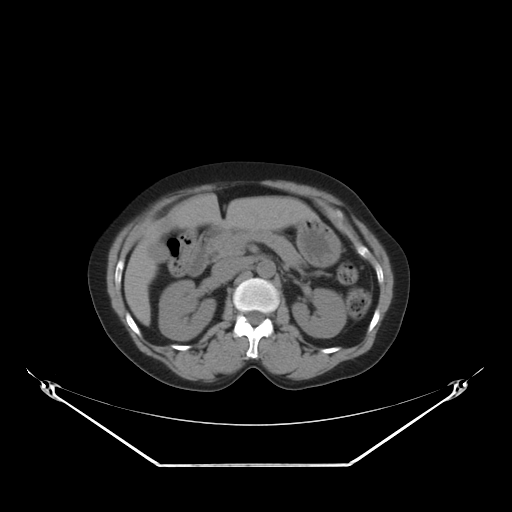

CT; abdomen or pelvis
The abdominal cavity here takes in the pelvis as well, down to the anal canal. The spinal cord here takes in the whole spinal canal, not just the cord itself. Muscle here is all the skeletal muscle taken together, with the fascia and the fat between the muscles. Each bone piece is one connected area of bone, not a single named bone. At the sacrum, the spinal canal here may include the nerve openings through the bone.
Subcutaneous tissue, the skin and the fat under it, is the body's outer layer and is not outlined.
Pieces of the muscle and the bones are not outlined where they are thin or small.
The spinal cord is outlined by (250, 311) (258, 311) (259, 312) (261, 312) (262, 313) (263, 313) (265, 315) (265, 316) (262, 320) (262, 321) (260, 323) (259, 323) (257, 325) (255, 325) (254, 326) (253, 325) (252, 325) (247, 320) (247, 318) (245, 315) (245, 313) (246, 313) (247, 312) (249, 312). The muscle is outlined by (263, 179) (270, 179) (271, 180) (278, 180) (280, 179) (281, 180) (293, 181) (300, 184) (305, 184) (312, 187) (315, 187) (321, 190) (324, 190) (340, 199) (350, 209) (354, 215) (360, 220) (377, 238) (384, 248) (388, 256) (391, 269) (393, 273) (392, 299) (389, 305) (389, 307) (386, 311) (381, 322) (381, 324) (376, 333) (373, 344) (367, 351) (351, 359) (344, 360) (331, 369) (317, 376) (308, 379) (294, 380) (287, 378) (285, 377) (284, 375) (281, 374) (274, 374) (271, 373) (262, 365) (259, 359) (249, 359) (246, 360) (245, 361) (245, 364) (234, 373) (231, 374) (222, 374) (219, 376) (220, 377) (219, 379) (212, 382) (205, 382) (200, 380) (194, 381) (193, 380) (189, 380) (183, 378) (173, 372) (161, 361) (151, 356) (149, 356) (139, 350) (129, 335) (128, 332) (125, 329) (123, 324) (120, 321) (119, 317) (113, 309) (107, 291) (107, 282) (106, 281) (107, 259) (108, 258) (109, 249) (119, 231) (127, 223) (141, 213) (150, 204) (162, 196) (164, 196) (178, 189) (190, 187) (195, 185) (199, 185) (204, 183) (225, 182) (226, 181) (233, 181) (234, 180) (262, 180), around holes outlined by (245, 184) (309, 198) (355, 251) (353, 241) (365, 246) (370, 252) (367, 260) (373, 267) (375, 263) (380, 265) (379, 319) (357, 343) (331, 353) (321, 352) (321, 347) (307, 341) (290, 322) (282, 293) (269, 316) (273, 334) (259, 339) (256, 358) (246, 355) (248, 338) (233, 335) (238, 311) (230, 291) (221, 320) (186, 350) (155, 344) (128, 325) (122, 286) (116, 287) (114, 274) (119, 259) (125, 259) (143, 228) (160, 210) (183, 196) and by (337, 209) (338, 209) (339, 210) (340, 210) (342, 212) (342, 213) (343, 214) (343, 219) (342, 220) (342, 226) (343, 227) (342, 227) (342, 226) (341, 225) (340, 225) (340, 224) (338, 221) (338, 219) (334, 215) (334, 214) (332, 212) (332, 210) (336, 210). The bones appear in 9 outlined pieces: piece 1: (254, 277) (267, 280) (276, 288) (279, 292) (279, 303) (269, 316) (274, 327) (273, 334) (263, 336) (259, 339) (257, 357) (251, 358) (246, 355) (249, 347) (248, 338) (245, 335) (237, 337) (233, 335) (233, 327) (238, 311) (233, 303) (232, 296) (235, 288) (242, 281); inner edge: (250, 311) (258, 311) (259, 312) (261, 312) (262, 313) (263, 313) (265, 315) (265, 316) (262, 320) (262, 321) (260, 323) (259, 323) (257, 325) (255, 325) (254, 326) (253, 325) (252, 325) (247, 320) (247, 318) (245, 315) (245, 313) (246, 313) (247, 312) (249, 312); piece 2: (120, 258) (123, 258) (124, 260) (124, 265) (123, 266) (123, 269) (122, 270) (122, 273) (121, 274) (121, 282) (120, 283) (120, 285) (119, 287) (117, 288) (115, 284) (115, 278) (114, 277) (114, 274) (115, 273) (115, 268) (116, 267) (116, 265); piece 3: (127, 311) (128, 312) (129, 312) (129, 313) (131, 315) (132, 318) (134, 320) (135, 323) (139, 328) (139, 329) (142, 334) (142, 335) (141, 336) (139, 336) (136, 333) (135, 333) (128, 325) (128, 324) (126, 321) (126, 318) (125, 317) (125, 315) (126, 314) (126, 312); piece 4: (353, 241) (355, 241) (356, 242) (357, 242) (358, 243) (359, 243) (360, 244) (361, 244) (362, 245) (365, 246) (369, 250) (369, 251) (370, 252) (370, 256) (368, 258) (365, 258) (364, 257) (363, 257) (361, 255) (360, 255) (356, 250) (356, 248) (353, 243); piece 5: (376, 308) (378, 308) (378, 309) (379, 310) (379, 319) (378, 320) (377, 323) (374, 326) (374, 327) (369, 332) (368, 332) (367, 331) (367, 329) (368, 328) (368, 326) (369, 325) (369, 323) (370, 322) (370, 321) (373, 316) (373, 314) (374, 313) (374, 311); piece 6: (375, 263) (378, 263) (380, 265) (380, 266) (381, 267) (381, 268) (382, 269) (382, 271) (383, 272) (383, 281) (382, 282) (382, 283) (379, 283) (378, 282) (378, 280) (377, 279) (377, 276) (376, 275) (376, 271) (375, 270) (375, 269) (374, 268) (374, 264); piece 7: (337, 209) (338, 209) (339, 210) (340, 210) (342, 212) (342, 213) (343, 214) (343, 219) (342, 220) (342, 226) (343, 227) (342, 227) (342, 226) (341, 225) (340, 225) (340, 224) (338, 221) (338, 219) (334, 215) (334, 214) (332, 212) (332, 210) (336, 210); piece 8: (335, 346) (339, 346) (340, 347) (340, 348) (338, 350) (337, 350) (336, 351) (334, 351) (333, 352) (332, 352) (331, 353) (324, 353) (323, 352) (321, 352) (320, 351) (320, 349) (321, 349) (322, 348) (328, 348) (329, 347) (334, 347); piece 9: (172, 344) (177, 344) (178, 345) (191, 345) (191, 347) (190, 348) (189, 348) (188, 349) (187, 349) (186, 350) (178, 350) (177, 349) (175, 349) (174, 348) (173, 348) (172, 347) (171, 347) (171, 346) (170, 345) (171, 345). The torso is outlined by (226, 159) (281, 161) (323, 171) (349, 186) (400, 244) (410, 268) (408, 303) (395, 340) (372, 367) (353, 377) (299, 390) (280, 388) (257, 369) (250, 368) (223, 389) (189, 391) (144, 372) (107, 336) (93, 307) (86, 277) (90, 252) (100, 233) (135, 195) (160, 177). The abdominal cavity is outlined by (245, 184) (309, 198) (371, 264) (379, 293) (357, 343) (320, 347) (307, 341) (290, 322) (283, 294) (269, 280) (257, 276) (242, 280) (232, 294) (227, 294) (221, 320) (194, 343) (161, 345) (143, 335) (126, 307) (121, 285) (126, 255) (143, 228) (160, 210) (183, 196).